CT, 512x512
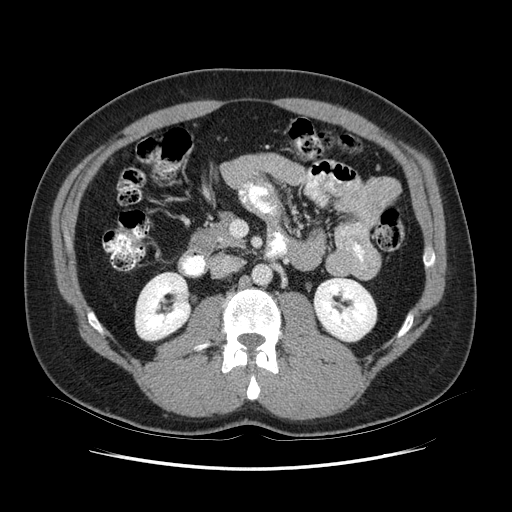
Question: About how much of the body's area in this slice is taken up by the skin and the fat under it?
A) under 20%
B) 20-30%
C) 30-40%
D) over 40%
Answer: B) 20-30%
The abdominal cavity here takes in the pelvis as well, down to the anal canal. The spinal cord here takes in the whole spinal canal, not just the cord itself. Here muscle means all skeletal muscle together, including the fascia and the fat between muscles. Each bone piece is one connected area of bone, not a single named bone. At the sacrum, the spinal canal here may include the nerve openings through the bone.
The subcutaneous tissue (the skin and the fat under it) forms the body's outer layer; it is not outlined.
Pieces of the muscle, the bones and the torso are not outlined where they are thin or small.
{"bones":[{"outer":[[224,373],[236,365],[245,366],[247,364],[255,364],[274,373],[278,371],[276,361],[276,344],[281,334],[281,313],[271,295],[261,289],[253,287],[240,290],[225,300],[222,312],[222,331],[226,335],[226,342],[222,345],[223,362],[221,367]],"hole":[[248,351],[254,351],[254,349],[258,345],[261,344],[264,341],[264,338],[261,335],[259,335],[258,334],[256,334],[255,333],[247,333],[246,334],[242,334],[241,335],[240,335],[238,337],[238,340],[241,343],[242,343],[244,345],[245,345],[248,348]]},[[425,268],[428,268],[429,267],[431,267],[433,266],[435,263],[435,253],[433,250],[433,248],[430,245],[430,244],[424,247],[424,252],[423,253],[423,256],[422,257],[422,259],[423,260],[423,263],[424,264],[424,266]],[[250,400],[254,400],[256,399],[259,394],[259,391],[260,390],[259,388],[259,386],[257,384],[257,382],[253,374],[252,374],[250,376],[250,381],[247,387],[247,391],[246,392],[247,393],[247,398]],[[397,337],[400,337],[401,336],[402,336],[407,331],[408,331],[411,327],[411,326],[413,323],[413,313],[412,312],[412,310],[410,310],[408,312],[408,313],[407,314],[407,315],[406,316],[401,327],[398,330],[398,331],[396,334],[396,336]],[[101,334],[104,334],[104,330],[103,329],[103,328],[102,327],[100,322],[97,319],[97,318],[96,317],[94,312],[92,310],[89,310],[87,312],[87,319],[88,320],[88,322],[90,324],[90,325],[91,326],[92,326],[97,331],[98,331]]],"abdominal_cavity":[[[142,359],[183,331],[202,298],[219,292],[225,299],[253,286],[277,303],[282,292],[299,291],[312,303],[321,333],[359,357],[377,348],[400,327],[424,283],[423,237],[401,166],[341,126],[261,102],[227,104],[116,150],[82,198],[78,278],[101,323]]],"spinal_cord":[[[248,351],[254,351],[254,349],[258,345],[261,344],[264,341],[264,338],[261,335],[259,335],[258,334],[256,334],[255,333],[247,333],[246,334],[242,334],[241,335],[240,335],[238,337],[238,340],[241,343],[242,343],[244,345],[245,345],[248,348]]],"torso":[[[294,439],[349,433],[403,419],[429,407],[462,371],[474,335],[477,288],[468,225],[447,157],[427,128],[401,107],[364,86],[323,73],[204,68],[138,85],[70,131],[35,190],[23,260],[25,321],[33,353],[53,385],[94,415],[174,437],[257,425]]],"muscle":[{"outer":[[292,420],[333,415],[355,404],[375,376],[415,342],[431,322],[430,312],[443,296],[447,272],[445,216],[434,163],[423,151],[392,136],[358,113],[320,100],[298,97],[202,99],[151,112],[124,127],[84,157],[71,170],[59,188],[50,219],[53,264],[59,292],[72,308],[79,333],[86,343],[96,352],[131,373],[140,389],[161,408],[184,416],[210,417],[214,414],[222,415],[237,410],[248,402],[257,402],[272,414]],"holes":[[[224,373],[247,364],[278,371],[284,291],[305,294],[320,332],[359,357],[409,330],[435,253],[423,246],[403,170],[383,147],[272,104],[237,102],[141,136],[98,170],[82,198],[75,239],[88,322],[151,359],[158,344],[183,331],[202,298],[222,293]],[[250,400],[254,400],[256,399],[259,394],[259,391],[260,390],[259,388],[259,386],[257,384],[257,382],[253,374],[252,374],[250,376],[250,381],[247,387],[247,391],[246,392],[247,393],[247,398]],[[196,351],[197,351],[198,350],[200,350],[201,349],[203,349],[204,348],[206,348],[207,347],[212,345],[213,344],[213,343],[212,343],[209,341],[207,341],[204,343],[201,343],[200,344],[197,344],[196,345],[195,345],[193,347],[193,349]],[[69,250],[70,249],[70,240],[69,239],[69,236],[68,235],[68,234],[67,233],[65,233],[64,234],[64,240],[65,241],[65,244],[66,245],[66,247]]]}]}